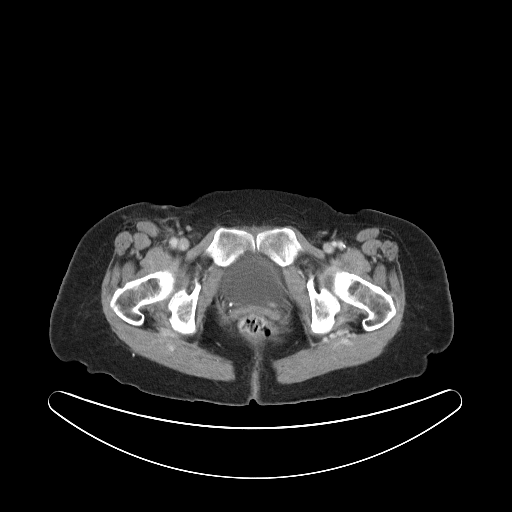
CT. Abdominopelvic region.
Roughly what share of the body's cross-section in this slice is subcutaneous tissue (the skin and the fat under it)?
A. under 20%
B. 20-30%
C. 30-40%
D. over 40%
D. over 40%
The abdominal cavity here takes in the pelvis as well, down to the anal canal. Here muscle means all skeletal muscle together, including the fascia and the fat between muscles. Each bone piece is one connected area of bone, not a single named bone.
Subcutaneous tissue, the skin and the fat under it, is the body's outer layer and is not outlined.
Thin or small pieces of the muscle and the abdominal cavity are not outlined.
abdominal cavity: (247, 250) (252, 252) (255, 251) (262, 252) (282, 268) (281, 269) (283, 273) (283, 278) (288, 295) (289, 303) (287, 311) (270, 333) (267, 336) (261, 339) (250, 337) (244, 334) (237, 328) (235, 322) (222, 307) (219, 294) (219, 286) (223, 273) (230, 264)
bones 1: (337, 269) (354, 273) (379, 286) (391, 296) (395, 314) (382, 326) (366, 331) (361, 323) (365, 316) (364, 311) (341, 300) (340, 309) (334, 317) (330, 331) (312, 332) (311, 303) (306, 285) (308, 278) (310, 274) (314, 275) (314, 286) (317, 290) (327, 289) (331, 286)
bones 2: (164, 269) (169, 269) (175, 274) (175, 290) (186, 286) (186, 291) (189, 293) (194, 287) (195, 278) (201, 286) (195, 307) (194, 333) (183, 334) (172, 328) (167, 299) (144, 305) (141, 308) (144, 315) (141, 325) (126, 322) (110, 307) (110, 300) (117, 288) (130, 280)
bones 3: (221, 226) (243, 229) (253, 235) (275, 227) (289, 227) (295, 233) (296, 238) (302, 247) (302, 250) (297, 254) (292, 263) (283, 267) (262, 251) (252, 251) (249, 249) (240, 254) (228, 265) (220, 266) (214, 263) (213, 260) (205, 253) (205, 250) (212, 241) (215, 231)
torso: (236, 188) (300, 193) (346, 213) (371, 208) (419, 226) (443, 259) (454, 315) (449, 345) (429, 356) (419, 376) (348, 396) (276, 405) (162, 397) (106, 373) (89, 373) (77, 361) (61, 361) (49, 342) (50, 314) (77, 243) (94, 223) (140, 201) (178, 206) (213, 190)
muscle: (138, 218) (153, 221) (170, 244) (188, 250) (220, 225) (204, 253) (227, 267) (218, 286) (221, 307) (237, 329) (257, 340) (288, 311) (282, 269) (303, 247) (296, 233) (289, 226) (275, 226) (255, 234) (228, 227) (237, 225) (293, 226) (325, 254) (361, 229) (389, 229) (404, 279) (401, 328) (368, 362) (279, 384) (270, 359) (306, 345) (298, 316) (285, 341) (253, 350) (218, 325) (213, 297) (200, 342) (233, 362) (234, 381) (185, 374) (133, 354) (111, 330) (100, 294) (116, 234), around holes outlined by (337, 269) (354, 273) (379, 286) (391, 296) (395, 314) (382, 326) (366, 331) (361, 323) (365, 316) (364, 311) (341, 300) (340, 309) (334, 317) (330, 331) (312, 332) (311, 303) (306, 285) (308, 278) (310, 274) (314, 275) (314, 286) (317, 290) (327, 289) (331, 286) and by (164, 269) (169, 269) (175, 274) (175, 290) (186, 286) (186, 291) (189, 293) (194, 287) (195, 278) (201, 286) (195, 307) (194, 333) (183, 334) (172, 328) (167, 299) (144, 305) (141, 308) (144, 315) (141, 325) (126, 322) (110, 307) (110, 300) (117, 288) (130, 280)